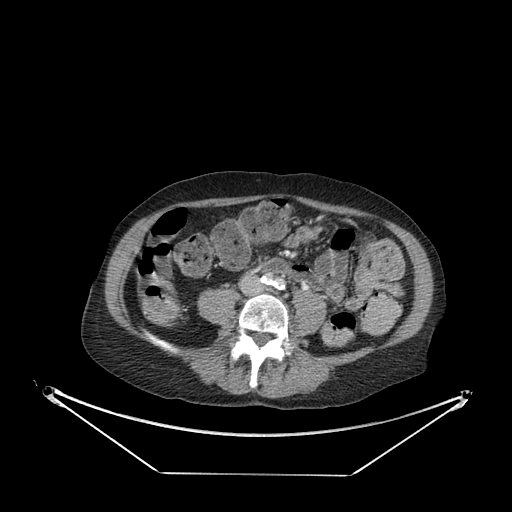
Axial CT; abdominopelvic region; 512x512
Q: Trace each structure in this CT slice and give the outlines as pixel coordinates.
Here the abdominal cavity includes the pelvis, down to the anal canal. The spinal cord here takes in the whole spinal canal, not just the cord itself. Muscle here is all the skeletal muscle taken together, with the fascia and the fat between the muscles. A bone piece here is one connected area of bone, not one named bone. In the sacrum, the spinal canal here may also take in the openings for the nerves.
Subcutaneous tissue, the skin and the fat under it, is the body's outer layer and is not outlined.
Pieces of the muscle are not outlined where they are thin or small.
A: {"bones":[{"outer":[[262,293],[275,296],[285,305],[288,311],[288,338],[297,348],[293,349],[280,362],[274,358],[267,357],[258,369],[257,386],[250,387],[251,361],[249,356],[242,354],[236,360],[233,360],[230,356],[230,351],[238,333],[238,315],[242,307],[248,299]],"hole":[[253,332],[259,332],[260,333],[269,333],[270,334],[271,334],[272,335],[272,337],[269,340],[268,340],[263,345],[262,345],[261,346],[259,346],[255,342],[255,341],[253,339],[253,338],[252,337],[252,333]]},[[142,328],[145,328],[151,333],[154,334],[159,338],[164,339],[166,341],[169,342],[171,344],[175,346],[178,349],[178,353],[177,354],[172,354],[167,351],[165,351],[161,349],[158,346],[156,346],[154,345],[146,338],[146,336],[144,334],[142,330]]],"torso":[[[221,170],[317,173],[365,186],[405,211],[433,243],[445,277],[446,311],[431,339],[427,369],[354,404],[284,411],[262,405],[216,407],[180,399],[163,399],[133,387],[94,362],[81,343],[80,321],[110,234],[125,215],[162,187],[181,179]]],"abdominal_cavity":[[[276,196],[377,220],[403,243],[413,297],[387,339],[337,354],[310,351],[306,337],[324,324],[327,304],[300,290],[289,313],[262,292],[238,314],[234,289],[204,289],[197,313],[219,326],[205,345],[166,339],[132,318],[126,278],[158,216],[177,206]]],"spinal_cord":[[[253,332],[259,332],[260,333],[269,333],[270,334],[271,334],[272,335],[272,337],[269,340],[268,340],[263,345],[262,345],[261,346],[259,346],[255,342],[255,341],[253,339],[253,338],[252,337],[252,333]]],"muscle":[{"outer":[[269,193],[287,193],[288,194],[302,196],[313,200],[317,200],[321,202],[325,202],[334,205],[344,205],[348,207],[351,207],[376,214],[397,224],[402,228],[410,232],[419,241],[425,250],[433,272],[433,285],[434,286],[433,299],[429,313],[423,323],[423,326],[415,335],[396,345],[388,347],[382,350],[379,350],[376,352],[370,353],[366,356],[359,358],[352,362],[338,366],[335,373],[328,380],[325,381],[313,392],[306,394],[297,393],[293,395],[285,396],[280,398],[264,397],[255,392],[254,393],[253,392],[247,392],[242,394],[231,394],[228,393],[225,390],[221,389],[214,384],[207,385],[202,383],[197,375],[187,365],[184,363],[182,363],[178,359],[172,356],[169,356],[158,348],[149,345],[145,341],[143,341],[141,339],[137,338],[131,334],[129,334],[121,327],[113,319],[109,313],[104,297],[105,296],[104,295],[105,276],[110,257],[115,247],[123,235],[139,219],[145,217],[164,207],[178,202],[194,201],[195,200],[201,200],[208,198],[218,198],[219,197],[250,196],[251,195],[268,194]],"hole":[[276,196],[380,222],[406,249],[413,297],[384,341],[319,355],[306,337],[327,304],[295,291],[287,330],[297,348],[267,357],[250,387],[249,356],[230,356],[234,289],[199,293],[197,313],[216,336],[166,339],[172,354],[146,338],[124,286],[163,212]]}]}